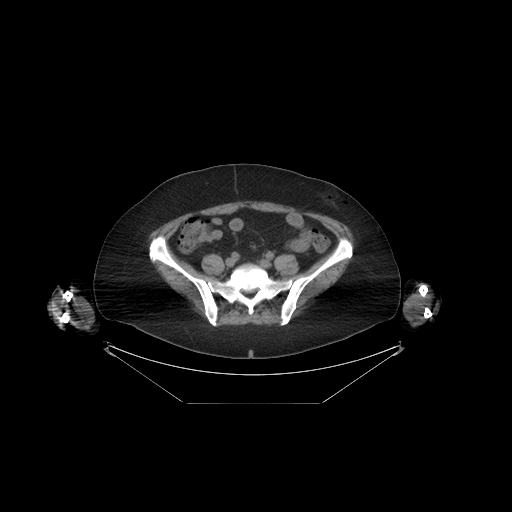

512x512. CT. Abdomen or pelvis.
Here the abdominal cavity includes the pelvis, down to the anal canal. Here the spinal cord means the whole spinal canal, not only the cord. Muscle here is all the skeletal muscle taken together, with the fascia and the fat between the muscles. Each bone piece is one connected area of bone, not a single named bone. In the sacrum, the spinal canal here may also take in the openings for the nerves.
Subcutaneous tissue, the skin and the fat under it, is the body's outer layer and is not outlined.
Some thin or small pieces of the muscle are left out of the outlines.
left arm: [[418,275],[427,276],[431,278],[435,282],[436,286],[441,294],[441,297],[444,304],[444,310],[441,315],[429,328],[417,335],[412,335],[406,332],[402,328],[400,324],[400,318],[402,314],[402,308],[400,305],[403,300],[403,286],[408,279]]
muscle 1: [[243,200],[268,201],[302,209],[304,211],[320,212],[344,223],[350,228],[354,235],[356,245],[353,260],[346,266],[344,272],[333,284],[316,295],[309,302],[308,307],[287,325],[292,318],[297,307],[298,299],[305,287],[326,269],[353,256],[352,243],[344,236],[340,237],[338,240],[335,234],[318,220],[295,212],[262,211],[249,207],[241,207],[227,214],[195,214],[189,216],[178,226],[170,236],[167,242],[174,254],[179,259],[201,272],[203,271],[201,266],[202,258],[207,254],[218,254],[222,258],[224,264],[223,271],[217,275],[220,280],[205,280],[187,271],[173,258],[169,251],[167,245],[167,241],[162,234],[155,236],[150,241],[148,252],[147,250],[146,240],[149,234],[170,220],[188,212]]
muscle 2: [[282,292],[286,292],[286,294],[280,305],[279,325],[276,324],[258,325],[247,323],[241,325],[223,325],[217,327],[219,308],[215,298],[216,294],[230,304],[238,302],[246,306],[248,314],[251,315],[254,312],[254,307],[256,305],[264,300],[271,300]]
muscle 3: [[67,286],[73,286],[79,289],[81,292],[81,295],[89,302],[93,309],[94,322],[88,330],[80,329],[71,325],[70,326],[67,324],[66,325],[65,324],[60,325],[50,315],[50,312],[49,311],[50,303],[53,298],[64,287]] with holes at [[64,312],[67,312],[67,313],[68,314],[68,315],[69,316],[69,320],[68,321],[68,322],[67,322],[66,323],[61,323],[58,320],[58,319],[60,317],[60,316]] and at [[66,291],[70,291],[72,293],[72,296],[70,298],[70,299],[68,301],[67,301],[62,296],[62,295]]
muscle 4: [[150,260],[152,262],[159,261],[163,264],[174,269],[183,275],[194,285],[201,298],[203,308],[204,309],[204,315],[207,321],[211,325],[208,325],[205,323],[205,322],[192,310],[190,302],[188,301],[183,295],[173,289],[161,277],[160,274],[156,270]]
muscle 5: [[417,282],[421,283],[418,292],[422,297],[426,296],[428,292],[427,284],[429,286],[437,303],[437,310],[433,315],[432,311],[426,306],[423,310],[423,317],[427,319],[419,325],[412,326],[405,317],[403,304],[407,297],[414,291],[414,286]]
muscle 6: [[330,253],[331,253],[326,259],[316,269],[307,275],[302,275],[295,279],[290,277],[286,279],[275,279],[278,277],[279,273],[274,267],[274,260],[277,256],[281,254],[292,254],[294,255],[298,263],[299,267],[298,271],[302,272],[307,270],[318,260]]
spinal cord: [[255,288],[257,288],[258,289],[258,290],[257,291],[257,292],[255,294],[254,294],[251,297],[248,297],[247,296],[245,296],[243,294],[242,294],[240,292],[240,290],[241,289],[242,289],[244,291],[246,291],[247,292],[248,291],[252,291]]
right arm: [[70,277],[77,277],[83,279],[85,280],[89,285],[90,296],[94,304],[95,310],[97,313],[97,317],[100,321],[100,327],[98,331],[93,335],[87,335],[84,337],[79,337],[74,335],[68,330],[58,329],[48,316],[45,309],[46,302],[57,284]]
abdominal cavity: [[241,208],[309,217],[332,232],[337,243],[302,271],[294,254],[281,253],[273,260],[278,273],[273,279],[266,269],[248,261],[238,264],[228,278],[221,280],[218,275],[225,264],[218,253],[201,258],[201,271],[179,258],[168,242],[191,216],[227,215]]
bones 1: [[159,235],[172,258],[205,281],[225,281],[248,262],[272,280],[295,280],[316,270],[342,237],[351,243],[352,256],[304,287],[285,325],[280,325],[287,294],[282,291],[256,304],[251,314],[246,305],[216,293],[213,326],[195,285],[150,259],[149,245]] with a hole at [[255,288],[257,288],[258,289],[258,290],[257,291],[257,292],[255,294],[254,294],[251,297],[248,297],[247,296],[245,296],[243,294],[242,294],[240,292],[240,290],[241,289],[242,289],[244,291],[246,291],[247,292],[248,291],[252,291]]
bones 2: [[64,312],[67,312],[67,313],[68,314],[68,315],[69,316],[69,320],[68,321],[68,322],[67,322],[66,323],[61,323],[58,320],[58,319],[60,317],[60,316]]
bones 3: [[422,283],[424,283],[425,284],[426,284],[426,285],[427,286],[427,292],[426,293],[426,294],[425,295],[425,296],[422,296],[420,294],[420,293],[419,292],[419,289],[420,288],[420,285]]
bones 4: [[66,291],[70,291],[72,293],[72,296],[70,298],[70,299],[68,301],[67,301],[62,296],[62,295]]
bones 5: [[426,307],[427,307],[431,311],[431,312],[432,313],[432,315],[430,317],[429,317],[428,318],[425,318],[424,317],[424,310],[425,309],[425,308]]
torso: [[241,162],[286,168],[329,181],[352,195],[373,215],[389,241],[400,272],[402,300],[391,319],[347,339],[299,354],[268,359],[232,359],[175,346],[131,325],[108,320],[97,312],[90,286],[93,283],[99,251],[116,220],[154,187],[172,176],[213,165]]